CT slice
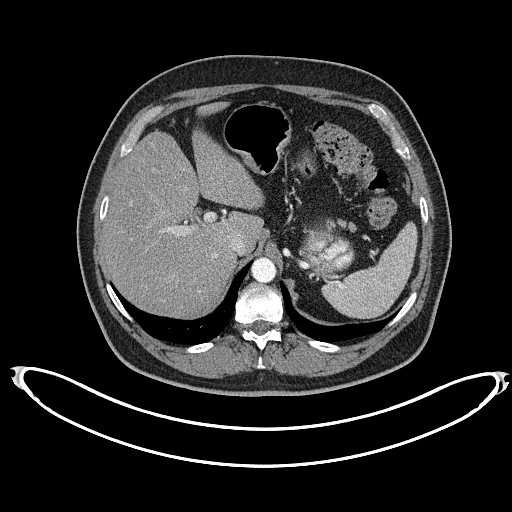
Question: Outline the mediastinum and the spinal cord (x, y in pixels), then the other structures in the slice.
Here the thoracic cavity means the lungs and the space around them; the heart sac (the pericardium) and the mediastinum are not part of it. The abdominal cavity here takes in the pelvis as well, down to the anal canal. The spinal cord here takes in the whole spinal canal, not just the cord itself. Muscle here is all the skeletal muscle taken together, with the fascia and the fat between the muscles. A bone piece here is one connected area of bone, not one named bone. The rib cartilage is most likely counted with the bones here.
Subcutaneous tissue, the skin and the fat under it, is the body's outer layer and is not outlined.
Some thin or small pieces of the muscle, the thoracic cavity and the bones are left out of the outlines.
Answer: {"mediastinum":[[[239,291],[251,281],[270,285],[280,291],[280,288],[279,287],[279,282],[280,280],[279,279],[279,276],[277,273],[277,265],[273,259],[268,256],[267,254],[262,254],[254,258],[254,259],[252,260],[253,261],[252,264],[250,266],[244,279],[240,285]]],"spinal_cord":[[[257,334],[262,334],[264,332],[265,332],[267,330],[268,330],[270,328],[270,324],[268,322],[267,322],[266,321],[263,321],[262,320],[258,320],[257,321],[255,321],[252,324],[251,324],[249,327],[250,328],[250,329],[251,329],[253,331],[254,331]]],"torso":[[[237,396],[307,395],[362,383],[405,365],[427,341],[451,253],[447,198],[436,161],[410,108],[391,85],[368,71],[326,60],[253,54],[185,62],[152,77],[127,98],[90,163],[78,206],[76,240],[86,293],[107,343],[123,363],[143,375],[196,391]]],"bones":[{"outer":[[261,351],[269,340],[280,341],[282,339],[281,329],[279,326],[279,323],[284,313],[282,304],[282,295],[281,292],[270,286],[251,282],[238,293],[238,297],[235,303],[235,312],[233,318],[235,321],[239,322],[243,327],[241,336],[245,340],[253,341]],"hole":[[257,334],[262,334],[264,332],[265,332],[267,330],[268,330],[270,328],[270,324],[268,322],[267,322],[266,321],[263,321],[262,320],[258,320],[257,321],[255,321],[252,324],[251,324],[249,327],[250,328],[250,329],[251,329],[253,331],[254,331]]},[[408,160],[411,158],[409,153],[409,150],[399,135],[384,109],[379,105],[374,103],[368,104],[367,105],[367,108],[370,111],[372,115],[380,120],[388,127],[391,134],[391,139],[392,140],[392,143],[395,148],[395,150],[403,159],[407,159]],[[121,157],[127,155],[127,154],[131,150],[131,148],[135,143],[137,138],[141,133],[145,125],[151,121],[154,117],[162,111],[163,109],[163,106],[162,105],[156,105],[150,108],[139,118],[130,130],[127,138],[121,145],[120,152],[119,153],[119,155]],[[328,352],[335,352],[336,351],[340,350],[341,349],[341,347],[338,344],[318,341],[317,340],[312,339],[302,333],[301,334],[301,335],[303,337],[307,339],[308,343],[311,346],[319,350],[321,350],[322,351],[327,351]],[[386,326],[390,326],[396,323],[407,312],[407,311],[413,304],[416,298],[417,293],[415,291],[412,291],[410,293],[409,296],[407,298],[406,301],[404,303],[402,307],[397,312],[395,316],[386,325]],[[130,321],[133,321],[134,320],[133,318],[127,312],[127,311],[122,305],[121,302],[114,292],[114,290],[112,288],[110,283],[109,282],[107,282],[106,283],[106,288],[113,303],[116,306],[116,307],[119,310],[119,311],[127,319],[128,319]],[[191,353],[205,351],[206,350],[211,348],[214,345],[214,344],[212,341],[209,341],[208,342],[204,342],[203,343],[201,343],[200,344],[196,344],[195,345],[189,345],[188,346],[186,346],[186,347],[185,348],[185,351],[186,352],[190,352]],[[423,224],[425,224],[426,223],[427,223],[427,222],[428,221],[428,211],[427,210],[427,205],[426,204],[426,201],[425,200],[424,197],[422,195],[421,195],[419,197],[419,208],[420,209],[420,215],[421,216],[421,219],[422,220],[422,223]],[[100,220],[103,220],[103,219],[105,217],[105,214],[107,211],[107,206],[108,205],[108,201],[109,200],[109,196],[106,194],[103,197],[103,198],[102,199],[102,201],[101,202],[101,205],[100,206],[100,209],[99,210],[99,217],[100,218]]],"abdominal_cavity":[[[322,325],[387,317],[401,307],[417,272],[421,245],[418,204],[407,168],[378,120],[349,106],[262,87],[180,108],[150,123],[126,156],[110,194],[103,232],[109,281],[143,311],[192,320],[211,313],[237,272],[254,257],[267,253],[278,265],[294,309]]],"muscle":[{"outer":[[206,378],[222,378],[226,375],[233,375],[244,371],[248,372],[255,370],[257,369],[255,368],[257,357],[260,354],[263,356],[263,361],[266,366],[265,369],[269,371],[274,370],[280,374],[300,375],[306,377],[314,377],[315,376],[323,376],[324,375],[334,374],[343,371],[348,368],[353,367],[369,357],[377,350],[384,346],[416,317],[420,312],[426,297],[426,293],[428,289],[431,276],[431,260],[432,259],[432,246],[433,245],[433,232],[434,231],[434,225],[433,224],[434,210],[433,209],[433,204],[431,200],[429,187],[427,184],[423,169],[408,137],[391,111],[379,101],[345,92],[331,90],[323,87],[292,85],[291,84],[236,83],[235,84],[226,84],[225,85],[217,85],[216,86],[208,86],[207,87],[196,87],[185,90],[180,90],[171,93],[162,97],[157,101],[148,104],[135,114],[123,130],[109,157],[105,171],[101,180],[99,191],[93,206],[93,240],[94,241],[93,242],[92,251],[93,252],[93,259],[95,267],[95,274],[102,298],[110,313],[120,325],[153,356],[162,362],[182,372]],"hole":[[191,353],[211,348],[211,340],[232,317],[243,327],[241,336],[261,351],[269,340],[282,339],[279,323],[285,313],[311,346],[335,352],[340,342],[390,326],[407,312],[417,295],[411,288],[428,211],[422,195],[417,203],[403,163],[411,158],[409,150],[382,107],[368,104],[368,115],[262,87],[180,108],[153,123],[163,109],[156,105],[132,127],[119,153],[126,159],[99,210],[106,288],[127,319],[154,337],[184,344]]},[[390,136],[390,134],[389,133],[389,131],[388,130],[388,129],[387,128],[387,127],[385,125],[384,125],[380,121],[379,121],[379,122],[380,123],[380,124],[382,126],[382,127],[383,128],[383,129],[386,132],[386,133],[387,133]]],"thoracic_cavity":[[[185,345],[211,340],[219,334],[227,325],[234,312],[234,303],[237,297],[239,285],[252,261],[248,262],[238,272],[232,282],[228,293],[220,305],[211,314],[192,321],[175,320],[143,312],[124,299],[112,285],[125,308],[148,333],[154,337],[166,341]],[[336,343],[365,337],[378,331],[394,316],[396,312],[378,322],[372,322],[367,324],[349,324],[343,326],[322,326],[304,318],[293,309],[287,289],[285,287],[285,285],[282,282],[280,282],[285,313],[294,324],[303,333],[312,338],[322,341]]]}